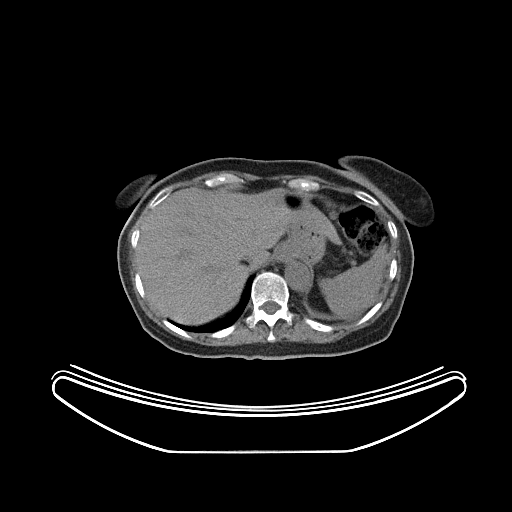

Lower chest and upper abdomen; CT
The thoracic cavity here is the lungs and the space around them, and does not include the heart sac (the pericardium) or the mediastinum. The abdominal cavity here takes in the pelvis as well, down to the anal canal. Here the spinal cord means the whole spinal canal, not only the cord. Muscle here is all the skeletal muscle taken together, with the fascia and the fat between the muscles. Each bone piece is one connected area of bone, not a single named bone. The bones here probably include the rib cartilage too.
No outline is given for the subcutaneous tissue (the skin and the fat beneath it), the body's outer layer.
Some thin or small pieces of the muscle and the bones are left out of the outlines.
The thoracic cavity is outlined by [[252,276],[254,276],[250,286],[249,301],[246,304],[243,313],[232,324],[212,332],[192,332],[179,327],[167,319],[167,318],[176,321],[179,324],[186,326],[201,326],[204,324],[213,322],[220,318],[223,318],[238,306],[242,300],[246,283],[248,279]]. The spinal cord is outlined by [[268,301],[272,301],[273,302],[274,302],[275,303],[276,303],[279,306],[279,307],[273,313],[268,313],[267,312],[266,312],[261,307],[263,305],[263,304],[264,303],[265,303],[266,302],[267,302]]. The bones appear in 12 outlined pieces: piece 1: [[264,271],[278,274],[285,280],[289,292],[288,306],[293,313],[291,325],[282,318],[276,321],[272,327],[275,337],[272,342],[267,340],[270,328],[263,320],[259,320],[253,328],[250,328],[244,320],[251,312],[250,307],[245,309],[250,301],[253,279]] with a hole at [[268,301],[272,301],[273,302],[274,302],[275,303],[276,303],[279,306],[279,307],[273,313],[268,313],[267,312],[266,312],[261,307],[263,305],[263,304],[264,303],[265,303],[266,302],[267,302]]; piece 2: [[222,173],[230,173],[231,174],[233,174],[241,178],[243,180],[243,182],[241,183],[224,183],[223,184],[220,184],[214,187],[208,187],[204,184],[204,180],[208,178],[211,178],[216,175],[218,175]]; piece 3: [[300,178],[301,179],[306,179],[307,180],[312,180],[313,181],[315,181],[319,184],[320,186],[320,188],[317,190],[305,190],[301,188],[294,188],[293,187],[290,187],[288,185],[287,185],[287,182],[288,181],[292,179],[299,179]]; piece 4: [[305,317],[310,318],[313,320],[315,320],[316,321],[318,321],[319,322],[321,322],[322,323],[329,324],[333,327],[333,330],[332,331],[330,331],[329,332],[325,332],[324,331],[320,331],[319,330],[316,330],[315,329],[312,328],[304,321],[304,318]]; piece 5: [[164,187],[170,187],[170,188],[171,189],[171,191],[170,192],[169,195],[167,197],[166,197],[162,201],[161,201],[157,205],[156,205],[153,208],[150,208],[149,207],[149,204],[150,203],[151,200],[154,197],[154,196],[162,188],[163,188]]; piece 6: [[355,190],[362,190],[363,191],[365,191],[366,192],[367,192],[369,194],[370,194],[372,196],[373,196],[378,201],[379,204],[377,206],[375,206],[374,205],[372,205],[371,204],[370,204],[369,203],[368,203],[367,202],[356,197],[354,195],[354,191]]; piece 7: [[379,301],[381,301],[382,302],[382,304],[379,308],[379,309],[370,318],[369,318],[364,322],[363,322],[360,324],[356,324],[357,321],[360,318],[361,318],[362,317],[362,316],[363,316],[364,315],[364,314],[365,314],[377,302],[378,302]]; piece 8: [[234,323],[236,323],[236,326],[235,327],[234,330],[228,335],[227,335],[224,337],[220,337],[219,338],[218,338],[217,337],[211,337],[210,336],[210,333],[212,333],[213,332],[215,332],[216,331],[221,330],[224,328],[226,328],[227,327],[232,325]]; piece 9: [[163,319],[166,319],[169,322],[174,324],[179,328],[186,331],[191,336],[191,338],[186,338],[184,336],[183,336],[182,335],[181,335],[180,334],[173,331],[171,329],[170,329],[163,323],[163,322],[162,321],[163,320]]; piece 10: [[137,272],[139,273],[139,276],[140,277],[140,279],[141,280],[141,282],[143,286],[143,289],[145,293],[145,297],[142,297],[140,295],[135,285],[135,274]]; piece 11: [[393,258],[395,258],[395,259],[396,260],[396,262],[397,263],[397,269],[396,270],[396,273],[395,274],[395,276],[394,277],[394,278],[392,280],[390,280],[388,277],[388,274],[389,273],[389,267],[390,266],[390,263],[391,262],[391,260]]; piece 12: [[388,220],[391,220],[392,221],[393,221],[394,222],[394,223],[396,226],[396,228],[397,229],[397,237],[395,239],[394,238],[392,238],[390,235],[390,232],[388,229],[388,226],[387,225],[387,221]]. The abdominal cavity is outlined by [[250,181],[320,190],[346,206],[365,202],[377,209],[391,238],[391,259],[379,298],[361,317],[347,323],[310,317],[302,298],[312,283],[312,270],[301,257],[281,252],[247,279],[241,300],[223,317],[186,325],[153,307],[136,261],[148,214],[180,188]]. The mediastinum appears in 2 outlined pieces: piece 1: [[280,253],[291,254],[301,258],[307,263],[311,270],[311,283],[307,291],[301,298],[301,308],[292,299],[290,299],[290,292],[287,282],[281,275],[270,270],[264,270],[255,275],[258,271],[261,270],[268,263],[268,261],[272,256],[275,256],[276,254]]; piece 2: [[320,189],[323,189],[324,190],[330,190],[331,191],[334,191],[338,193],[341,193],[342,194],[345,194],[350,196],[354,196],[356,198],[363,201],[359,203],[354,203],[353,204],[346,205],[343,203],[341,203],[333,199],[333,198],[326,191],[324,191]]. The torso is outlined by [[346,154],[375,157],[411,175],[427,190],[435,211],[428,227],[407,224],[413,273],[385,340],[337,356],[212,358],[176,352],[142,328],[117,265],[118,238],[133,208],[116,213],[113,202],[126,184],[147,173],[161,177],[216,157],[309,159],[335,165]]. The muscle appears in 4 outlined pieces: piece 1: [[397,226],[402,268],[399,286],[390,306],[374,322],[333,342],[273,342],[276,340],[273,327],[278,320],[282,319],[288,326],[293,323],[294,313],[289,306],[290,300],[309,316],[305,316],[303,321],[312,329],[320,332],[332,332],[334,327],[330,324],[347,324],[357,320],[355,324],[360,325],[370,319],[383,304],[381,300],[378,300],[388,278],[392,281],[397,273],[397,260],[391,257],[392,239],[395,240],[398,237]]; piece 2: [[150,200],[148,207],[151,210],[147,214],[141,228],[135,228],[132,231],[130,236],[130,244],[135,249],[135,261],[137,266],[137,271],[134,274],[135,288],[139,295],[142,298],[147,298],[152,307],[165,318],[162,319],[162,323],[170,330],[186,339],[192,338],[192,336],[188,332],[209,333],[209,336],[211,338],[219,339],[231,334],[237,326],[236,322],[238,319],[246,310],[250,308],[250,312],[243,319],[244,322],[250,329],[253,329],[259,321],[263,321],[269,328],[266,337],[266,340],[269,342],[220,346],[198,344],[188,340],[183,340],[172,335],[161,328],[146,315],[137,301],[130,279],[129,262],[127,258],[127,237],[130,229]]; piece 3: [[220,170],[236,170],[262,176],[280,174],[296,175],[310,174],[319,176],[340,185],[359,189],[355,189],[353,191],[353,195],[350,195],[330,189],[321,188],[320,184],[317,181],[300,177],[292,178],[288,180],[286,184],[277,180],[250,180],[244,182],[244,180],[241,177],[233,173],[222,172],[211,177],[205,178],[203,180],[204,185],[202,186],[188,185],[172,191],[170,186],[166,186],[172,183],[190,179],[207,172]]; piece 4: [[378,200],[379,200],[379,201],[383,204],[385,208],[389,212],[389,213],[391,214],[391,215],[393,217],[393,219],[394,221],[391,219],[388,219],[386,221],[386,222],[384,218],[382,217],[382,215],[376,207],[377,207],[380,204]].